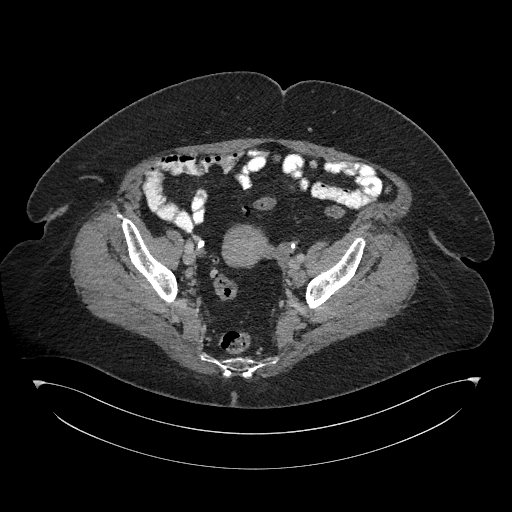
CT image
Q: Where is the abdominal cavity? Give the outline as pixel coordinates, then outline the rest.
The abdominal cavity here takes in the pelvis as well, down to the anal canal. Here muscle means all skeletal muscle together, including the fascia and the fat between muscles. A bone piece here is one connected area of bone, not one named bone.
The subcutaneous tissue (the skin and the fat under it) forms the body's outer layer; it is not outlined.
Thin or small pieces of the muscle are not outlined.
A: {"abdominal_cavity":[[[266,142],[366,162],[396,185],[397,196],[362,209],[332,244],[309,244],[302,264],[311,278],[303,298],[278,312],[268,354],[223,355],[207,349],[204,318],[180,294],[173,271],[183,234],[168,227],[154,236],[141,217],[141,175],[163,152],[221,153]]],"torso":[[[238,70],[263,73],[283,89],[317,79],[360,90],[440,146],[494,234],[487,260],[461,259],[482,277],[493,304],[491,330],[479,345],[343,395],[272,408],[184,401],[72,359],[23,357],[0,261],[43,233],[44,223],[26,214],[40,176],[139,98]]],"bones":[[[117,211],[121,212],[133,222],[138,229],[149,252],[158,261],[170,269],[175,275],[178,283],[179,293],[177,294],[175,299],[172,302],[167,303],[163,300],[158,295],[147,279],[131,262],[128,255],[127,245],[121,227],[121,220],[116,216]],[[360,236],[364,237],[366,240],[366,245],[364,248],[360,262],[353,276],[346,284],[334,292],[319,306],[316,308],[308,306],[304,298],[304,293],[306,285],[308,282],[320,272],[327,270],[334,265],[341,258],[346,249],[352,243],[354,239],[356,237]],[[202,350],[219,359],[224,356],[248,354],[258,360],[269,353],[273,353],[279,356],[279,360],[275,364],[268,364],[257,368],[252,375],[247,378],[242,377],[237,371],[234,371],[231,376],[225,377],[222,374],[223,370],[215,363],[199,358],[198,355]]],"muscle":[[[262,136],[333,147],[367,158],[401,176],[415,197],[401,224],[419,279],[408,305],[384,325],[331,343],[287,371],[247,380],[280,360],[270,352],[279,312],[303,299],[316,309],[357,271],[364,236],[312,277],[303,264],[310,244],[332,245],[362,210],[394,200],[398,187],[391,179],[366,161],[350,159],[326,159],[276,141],[221,152],[157,153],[140,175],[139,211],[152,236],[168,228],[182,234],[176,269],[150,252],[131,219],[119,210],[115,216],[130,262],[157,295],[167,304],[182,295],[201,314],[206,349],[223,356],[202,349],[198,358],[215,364],[225,378],[237,372],[240,376],[224,381],[181,366],[150,339],[93,315],[70,275],[70,251],[95,204],[111,198],[124,172],[142,159],[171,147]]]}